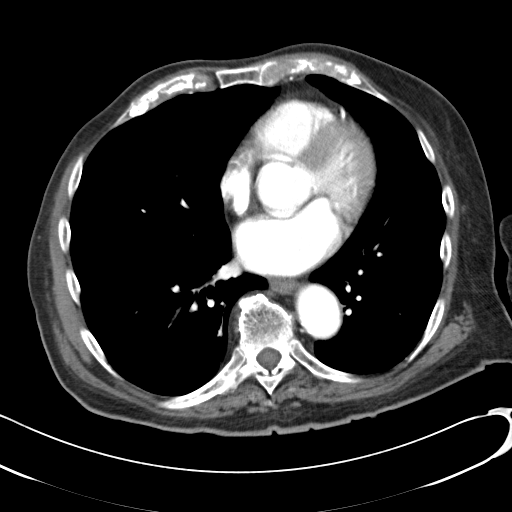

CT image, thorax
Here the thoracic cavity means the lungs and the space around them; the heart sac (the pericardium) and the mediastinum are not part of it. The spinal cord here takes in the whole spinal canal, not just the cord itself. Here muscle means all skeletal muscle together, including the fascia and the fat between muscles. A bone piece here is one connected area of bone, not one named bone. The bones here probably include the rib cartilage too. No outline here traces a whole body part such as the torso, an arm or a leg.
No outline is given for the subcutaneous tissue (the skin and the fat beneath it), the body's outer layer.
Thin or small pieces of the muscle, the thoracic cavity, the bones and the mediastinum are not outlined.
bones 1: [[258,292],[292,314],[294,334],[311,354],[324,364],[362,380],[350,383],[320,378],[297,365],[270,395],[251,375],[232,391],[198,404],[180,409],[158,406],[157,402],[161,400],[199,388],[229,360],[238,340],[234,330],[239,312],[237,302],[242,296]], around a hole outlined by [[265,348],[271,348],[272,349],[277,351],[279,353],[279,354],[280,355],[279,360],[277,362],[277,363],[272,368],[271,368],[270,369],[268,369],[267,368],[266,368],[264,366],[263,366],[257,360],[257,356],[258,355],[258,354],[262,350],[263,350]]
bones 2: [[298,57],[327,59],[354,69],[391,104],[332,76],[300,72],[294,74],[291,79],[286,76],[272,85],[240,83],[223,88],[216,87],[209,91],[177,93],[110,129],[132,101],[174,76],[192,71],[212,73],[220,68],[255,65],[272,59],[282,62]]
bones 3: [[438,297],[442,297],[444,299],[445,302],[444,303],[444,310],[440,322],[433,335],[428,341],[426,345],[411,361],[408,361],[407,358],[414,350],[424,333],[429,318],[431,315],[431,313]]
bones 4: [[81,327],[85,327],[90,331],[90,332],[95,338],[96,341],[100,346],[108,363],[111,366],[111,367],[122,378],[122,379],[116,378],[110,373],[109,373],[99,363],[99,362],[91,353],[91,352],[88,349],[88,348],[84,343],[79,333],[79,329]]
bones 5: [[80,154],[83,154],[83,156],[84,157],[81,176],[79,180],[78,186],[73,195],[73,197],[72,199],[70,200],[68,197],[68,191],[67,190],[68,182],[69,181],[69,178],[70,177],[73,166],[78,156]]
bones 6: [[61,216],[64,216],[65,217],[66,217],[68,219],[68,221],[69,222],[69,227],[70,228],[70,240],[69,241],[69,251],[66,253],[65,253],[62,251],[62,249],[60,246],[60,243],[59,242],[59,238],[58,237],[58,221],[59,220],[59,219]]
bones 7: [[68,268],[71,268],[73,270],[77,278],[77,280],[79,284],[79,287],[80,288],[80,293],[79,294],[80,306],[77,305],[77,304],[72,298],[69,292],[68,287],[67,286],[67,282],[66,281],[66,278],[65,277],[65,272],[66,271],[66,269]]
bones 8: [[445,231],[448,233],[449,235],[449,237],[450,238],[450,241],[451,242],[451,256],[449,260],[449,264],[446,268],[446,269],[444,270],[443,269],[443,263],[440,258],[440,246],[441,245],[441,240],[442,239],[442,236]]
bones 9: [[444,185],[448,185],[450,187],[451,189],[451,192],[452,193],[452,196],[453,197],[453,204],[454,205],[454,211],[453,212],[453,216],[450,218],[446,215],[445,213],[445,211],[444,210],[444,208],[443,207],[443,205],[442,204],[442,187]]
bones 10: [[417,128],[419,128],[422,130],[423,133],[425,135],[428,142],[430,144],[432,148],[432,150],[433,151],[433,153],[435,157],[435,162],[433,164],[426,157],[424,153],[424,151],[420,143],[420,141],[419,140],[418,135],[416,132],[416,129]]
mediastinum 1: [[312,270],[309,280],[325,286],[336,297],[339,304],[341,323],[333,336],[327,339],[316,340],[311,349],[306,347],[296,336],[294,331],[295,319],[291,312],[279,303],[271,300],[263,292],[244,294],[250,290],[266,289],[268,282],[262,276],[297,278]]
mediastinum 2: [[300,73],[306,73],[308,74],[305,77],[305,79],[310,84],[318,88],[331,99],[320,93],[310,90],[288,91],[274,99],[279,93],[280,89],[277,86],[271,86],[270,87],[265,86],[272,86],[286,77],[289,80],[291,80],[294,75]]
spinal cord: [[265,348],[271,348],[272,349],[277,351],[279,353],[279,354],[280,355],[279,360],[277,362],[277,363],[272,368],[271,368],[270,369],[268,369],[267,368],[266,368],[264,366],[263,366],[257,360],[257,356],[258,355],[258,354],[262,350],[263,350]]
muscle 1: [[302,51],[323,52],[352,63],[377,85],[408,105],[433,131],[460,206],[457,269],[475,322],[472,336],[443,363],[394,391],[361,399],[310,404],[289,411],[241,413],[213,418],[166,416],[118,399],[80,380],[65,365],[58,351],[46,306],[48,222],[54,194],[73,154],[129,103],[84,162],[83,153],[77,156],[66,188],[67,197],[71,201],[69,218],[61,215],[57,221],[59,246],[63,253],[69,252],[72,265],[64,272],[66,286],[73,301],[81,307],[87,327],[81,326],[78,333],[90,353],[114,378],[123,378],[145,391],[168,397],[156,402],[160,408],[180,410],[232,392],[251,376],[270,396],[284,377],[297,366],[320,379],[357,384],[363,378],[356,375],[384,372],[406,357],[411,362],[432,338],[445,310],[445,299],[439,294],[443,270],[449,266],[452,256],[451,238],[445,230],[446,216],[452,218],[455,211],[452,189],[448,184],[441,185],[434,166],[436,157],[423,130],[419,127],[415,129],[392,102],[354,68],[327,58],[305,56],[282,61],[272,58],[245,65],[276,55]]
muscle 2: [[194,66],[217,66],[218,67],[226,67],[220,67],[219,68],[217,68],[212,72],[209,72],[208,71],[205,71],[204,70],[199,70],[198,71],[192,70],[185,73],[180,73],[179,74],[174,75],[163,81],[161,81],[157,83],[153,87],[148,89],[130,102],[132,98],[135,95],[146,88],[154,81],[160,78],[162,78],[166,75],[170,74],[177,70],[183,69],[184,68],[187,68],[188,67],[193,67]]
thoracic cavity 1: [[240,84],[279,89],[227,160],[219,182],[233,259],[240,269],[263,277],[267,286],[250,289],[237,300],[233,329],[237,333],[236,344],[228,360],[209,380],[184,394],[156,394],[122,377],[87,326],[70,255],[72,200],[85,161],[110,130],[177,94]]
thoracic cavity 2: [[309,74],[332,77],[395,108],[415,130],[441,186],[445,225],[439,246],[439,293],[413,350],[381,372],[341,370],[306,348],[312,350],[316,341],[330,339],[340,328],[337,297],[310,275],[354,231],[372,198],[377,174],[374,147],[365,130],[310,83]]
pericardium: [[298,91],[315,92],[339,104],[361,126],[373,147],[376,164],[375,185],[353,231],[341,247],[329,259],[318,267],[297,277],[267,276],[247,270],[234,259],[232,253],[231,233],[224,214],[220,182],[228,160],[246,135],[250,126],[274,100],[288,92]]